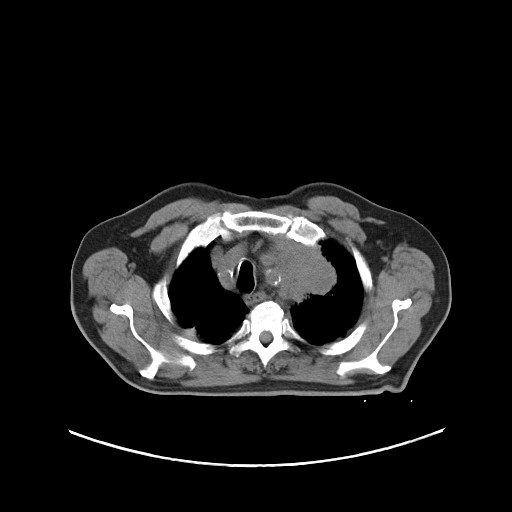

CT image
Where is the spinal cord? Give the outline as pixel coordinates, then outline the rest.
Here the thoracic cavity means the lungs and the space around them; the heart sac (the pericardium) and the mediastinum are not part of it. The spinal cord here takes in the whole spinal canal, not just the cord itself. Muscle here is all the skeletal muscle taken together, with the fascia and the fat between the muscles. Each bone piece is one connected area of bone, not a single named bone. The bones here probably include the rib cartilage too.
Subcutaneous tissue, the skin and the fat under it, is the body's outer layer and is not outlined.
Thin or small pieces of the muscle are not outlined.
{"spinal_cord":[[[263,331],[268,331],[269,332],[270,332],[270,333],[271,334],[271,335],[272,336],[272,339],[268,343],[267,343],[266,344],[265,344],[264,343],[263,343],[260,340],[260,338],[259,337],[260,336],[260,334]]],"torso":[[[190,180],[208,182],[250,196],[281,194],[304,183],[329,181],[423,224],[447,257],[451,305],[445,321],[420,356],[404,389],[359,396],[166,395],[141,390],[119,377],[86,340],[74,320],[70,305],[73,258],[81,239],[91,227],[135,207],[171,185]]],"bones":[[[226,210],[232,213],[261,210],[281,216],[303,216],[318,225],[327,238],[320,240],[317,246],[308,246],[286,238],[283,234],[256,230],[239,233],[233,231],[233,237],[229,240],[218,236],[207,246],[195,248],[175,268],[180,248],[190,230],[208,216]],{"outer":[[266,300],[273,300],[280,305],[284,315],[290,320],[292,327],[307,342],[296,341],[298,351],[281,350],[277,352],[264,367],[259,356],[254,351],[250,349],[244,350],[237,357],[230,354],[227,348],[221,344],[240,327],[246,315],[255,305]],"hole":[[263,331],[268,331],[269,332],[270,332],[270,333],[271,334],[271,335],[272,336],[272,339],[268,343],[267,343],[266,344],[265,344],[264,343],[263,343],[260,340],[260,338],[259,337],[260,336],[260,334]]},[[112,303],[129,304],[133,310],[133,325],[146,342],[169,357],[177,357],[181,354],[190,355],[196,363],[194,368],[190,369],[187,366],[174,363],[163,363],[153,379],[140,375],[138,370],[151,362],[150,353],[133,335],[128,317],[113,313],[110,310]],[[396,298],[410,298],[411,304],[407,308],[397,312],[396,328],[377,353],[379,362],[391,366],[391,369],[383,374],[378,374],[368,368],[357,368],[348,371],[344,376],[340,376],[336,372],[339,362],[355,361],[367,356],[391,328],[393,324],[391,304]],[[362,322],[366,322],[366,329],[363,333],[362,336],[360,338],[359,341],[349,350],[341,354],[338,354],[337,355],[325,355],[319,352],[318,350],[322,345],[326,343],[330,343],[334,341],[337,341],[338,340],[340,340],[344,338]],[[164,274],[166,275],[166,281],[167,282],[167,287],[168,288],[168,297],[169,298],[171,309],[174,315],[174,321],[173,323],[171,323],[165,317],[165,316],[158,307],[156,302],[152,296],[152,291],[153,290],[154,284],[157,282],[158,280],[159,280]],[[173,334],[178,334],[189,339],[195,340],[196,341],[199,341],[200,342],[216,344],[218,345],[218,347],[222,349],[222,350],[220,351],[217,351],[213,353],[210,353],[209,354],[195,354],[194,353],[190,353],[179,346],[175,342],[173,338]],[[348,241],[350,241],[361,252],[361,253],[364,256],[369,266],[369,268],[371,272],[371,278],[372,279],[372,288],[371,290],[369,291],[364,291],[363,285],[360,278],[360,275],[359,274],[359,272],[358,271],[355,260],[351,253],[351,248]]],"muscle":[[[187,197],[243,203],[257,209],[226,209],[208,215],[182,242],[168,286],[165,273],[153,284],[151,296],[164,317],[171,324],[175,317],[197,339],[172,334],[174,342],[188,353],[209,355],[222,351],[221,345],[237,358],[250,350],[265,368],[281,351],[298,352],[296,342],[320,346],[317,350],[325,356],[349,351],[367,329],[367,322],[362,321],[350,330],[360,315],[364,292],[373,288],[370,267],[376,275],[402,242],[426,253],[434,265],[434,299],[418,338],[392,368],[378,359],[397,328],[398,312],[412,304],[410,297],[396,297],[390,304],[392,324],[373,350],[359,359],[339,361],[335,370],[340,377],[357,369],[380,376],[362,374],[356,382],[343,385],[263,378],[232,385],[184,386],[153,380],[161,365],[193,370],[195,359],[188,353],[169,356],[152,346],[134,325],[133,307],[112,302],[109,310],[127,317],[132,335],[149,353],[150,362],[137,371],[98,334],[81,284],[83,264],[92,253],[116,247],[131,260],[136,273],[152,284],[159,268],[158,257],[149,251],[152,236],[130,234],[154,211]],[[316,195],[336,196],[353,204],[369,217],[383,222],[362,224],[366,234],[363,251],[368,263],[362,252],[350,240],[347,241],[350,248],[349,252],[337,241],[328,237],[318,224],[307,217],[303,215],[281,215],[261,209],[282,204],[303,208],[305,200]]],"mediastinum":[[[245,231],[283,235],[286,239],[305,246],[305,270],[302,276],[301,287],[294,299],[294,304],[290,307],[289,318],[285,315],[281,305],[273,299],[260,301],[250,309],[238,294],[224,289],[221,285],[211,265],[209,244],[218,237],[224,241],[229,241]]],"thoracic_cavity":[[[328,238],[337,242],[351,254],[362,285],[363,297],[359,315],[355,324],[349,330],[350,332],[340,339],[317,345],[308,342],[293,327],[290,319],[291,307],[295,304],[295,299],[303,283],[303,276],[306,270],[306,246],[317,247],[320,241],[326,240]],[[208,246],[210,265],[220,285],[224,290],[233,292],[238,295],[249,309],[249,311],[245,315],[239,327],[220,344],[200,341],[183,327],[179,323],[173,312],[169,297],[169,288],[168,287],[172,279],[174,271],[181,265],[195,249],[205,248]]]}